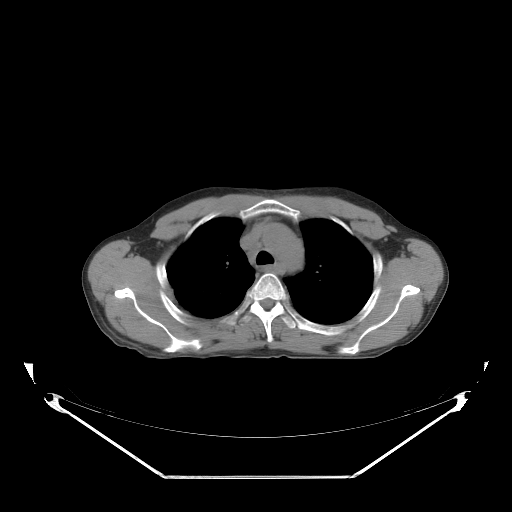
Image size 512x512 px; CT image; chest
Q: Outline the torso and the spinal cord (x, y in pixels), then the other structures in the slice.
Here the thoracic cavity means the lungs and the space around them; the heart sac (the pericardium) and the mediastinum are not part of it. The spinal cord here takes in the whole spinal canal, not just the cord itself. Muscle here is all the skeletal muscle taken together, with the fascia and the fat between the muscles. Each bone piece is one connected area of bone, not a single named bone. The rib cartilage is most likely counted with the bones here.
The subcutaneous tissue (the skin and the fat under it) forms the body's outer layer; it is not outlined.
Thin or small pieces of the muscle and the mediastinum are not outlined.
A: {"torso":[[[217,185],[333,185],[374,200],[403,224],[431,238],[443,252],[449,284],[431,321],[411,342],[367,360],[158,360],[114,344],[96,325],[82,290],[81,271],[88,254],[102,239],[135,226],[169,200]]],"spinal_cord":[[[266,298],[269,298],[270,299],[271,299],[272,300],[273,300],[274,301],[274,304],[269,309],[265,309],[260,304],[260,301],[261,301],[262,300],[263,300],[264,299],[265,299]]],"thoracic_cavity":[[[308,218],[329,219],[336,223],[349,234],[354,236],[363,245],[371,256],[373,275],[371,292],[356,314],[353,317],[341,323],[324,324],[315,322],[303,316],[292,305],[290,295],[286,289],[285,279],[300,274],[304,271],[306,267],[306,248],[300,224]],[[224,216],[236,217],[241,221],[242,230],[238,238],[238,245],[245,254],[249,265],[254,271],[254,281],[246,290],[239,305],[231,312],[212,318],[195,316],[186,312],[176,304],[176,300],[168,279],[167,264],[182,243],[186,241],[198,227],[214,218]]],"mediastinum":[[[266,213],[279,214],[289,217],[296,222],[303,216],[307,217],[299,224],[305,248],[305,267],[300,273],[285,278],[285,287],[279,277],[270,271],[262,273],[255,280],[255,271],[250,265],[246,254],[239,245],[239,238],[243,230],[241,220],[244,221]]],"muscle":[[[231,193],[335,196],[374,211],[397,231],[374,241],[378,250],[371,255],[340,218],[304,216],[298,208],[272,197],[241,208],[235,215],[219,216],[219,211],[212,211],[188,229],[167,263],[160,260],[155,264],[159,298],[183,325],[189,324],[191,315],[205,319],[224,316],[219,321],[233,326],[238,318],[249,321],[251,314],[261,321],[268,343],[274,339],[272,322],[278,316],[290,329],[339,335],[373,309],[382,290],[380,285],[373,286],[383,270],[382,255],[386,261],[402,256],[404,239],[409,237],[427,242],[436,251],[443,280],[413,329],[392,343],[359,353],[362,339],[386,324],[405,297],[420,292],[411,283],[401,287],[383,319],[364,329],[352,344],[337,348],[339,354],[347,354],[299,353],[266,345],[209,353],[175,352],[187,347],[199,350],[203,346],[200,339],[174,335],[141,308],[129,286],[116,288],[113,295],[131,299],[136,311],[170,339],[162,350],[133,340],[111,326],[92,293],[87,271],[93,256],[111,241],[129,239],[131,251],[154,264],[167,245],[150,237],[161,216],[200,198]],[[168,286],[169,286],[171,288],[171,290],[172,291],[172,294],[173,295],[173,297],[174,298],[174,299],[175,300],[175,303],[167,295],[167,294],[165,292],[165,291],[164,290],[164,289],[166,287],[167,287]]],"bones":[{"outer":[[267,272],[278,277],[299,314],[324,325],[353,322],[374,286],[381,290],[369,313],[339,334],[290,328],[278,315],[271,322],[273,339],[268,342],[264,325],[254,314],[250,313],[251,318],[246,321],[238,317],[233,325],[220,321],[240,305],[247,290]],"hole":[[266,298],[269,298],[270,299],[271,299],[272,300],[273,300],[274,301],[274,304],[269,309],[265,309],[260,304],[260,301],[261,301],[262,300],[263,300],[264,299],[265,299]]},[[124,287],[129,287],[133,291],[138,305],[144,312],[162,323],[174,336],[185,340],[197,338],[202,346],[196,350],[190,346],[174,352],[163,350],[171,342],[167,333],[160,326],[150,322],[141,315],[135,308],[131,298],[118,298],[114,295],[116,289]],[[266,198],[272,198],[273,199],[278,200],[295,209],[298,209],[301,212],[301,215],[302,216],[296,221],[289,216],[286,216],[275,212],[266,212],[265,213],[258,214],[252,217],[249,217],[243,220],[239,218],[236,215],[239,210],[249,207],[253,204]],[[406,284],[411,284],[418,287],[420,290],[419,292],[405,296],[400,302],[396,313],[386,323],[368,332],[361,339],[359,343],[358,352],[354,354],[339,353],[338,348],[340,346],[352,345],[364,330],[371,325],[383,320],[393,310],[400,295],[401,289]],[[160,261],[164,261],[166,263],[166,274],[169,284],[169,285],[166,286],[163,290],[166,295],[180,309],[190,315],[189,318],[187,319],[188,324],[183,324],[176,320],[166,309],[160,298],[159,291],[162,288],[158,281],[156,275],[156,264]],[[374,251],[378,251],[381,254],[381,256],[382,257],[382,262],[383,263],[382,265],[382,270],[381,271],[381,273],[378,279],[375,283],[374,283],[374,281],[373,280],[374,278],[374,275],[373,274],[373,261],[372,260],[372,254]],[[212,212],[219,212],[220,214],[218,216],[216,217],[214,217],[206,221],[204,223],[201,224],[199,226],[198,226],[193,231],[193,232],[189,236],[189,237],[186,240],[184,241],[184,237],[186,233],[189,230],[189,229],[198,220],[199,220],[202,217]],[[330,216],[334,216],[335,217],[340,219],[345,223],[346,223],[348,225],[348,226],[350,228],[350,229],[353,232],[353,235],[352,235],[350,233],[349,233],[342,226],[341,226],[336,222],[331,220],[329,218],[329,217]]]}